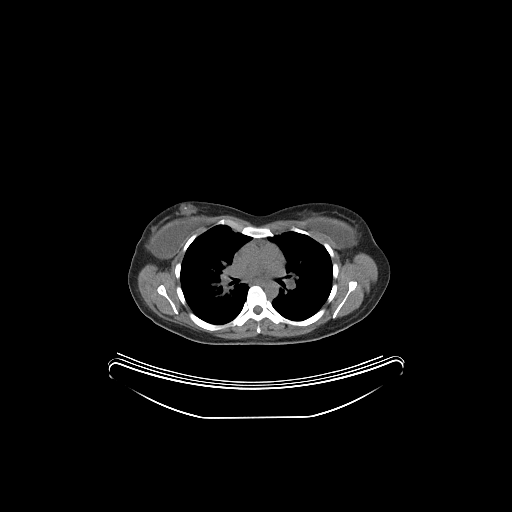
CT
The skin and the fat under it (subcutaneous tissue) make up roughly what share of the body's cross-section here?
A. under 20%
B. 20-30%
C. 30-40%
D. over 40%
Answer: B. 20-30%
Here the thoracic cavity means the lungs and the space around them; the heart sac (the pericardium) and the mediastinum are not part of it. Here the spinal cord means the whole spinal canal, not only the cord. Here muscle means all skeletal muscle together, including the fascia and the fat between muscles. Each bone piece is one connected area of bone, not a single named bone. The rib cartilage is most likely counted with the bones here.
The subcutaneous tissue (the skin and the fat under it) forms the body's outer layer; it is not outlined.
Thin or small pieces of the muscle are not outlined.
The torso is outlined by [[184,200],[224,204],[255,215],[265,215],[308,202],[328,202],[345,206],[365,220],[376,243],[387,256],[390,265],[387,287],[365,318],[338,333],[318,340],[279,345],[213,345],[186,339],[146,317],[137,307],[127,281],[134,249],[145,226],[162,210]]. The mediastinum appears in 2 outlined pieces: piece 1: [[273,243],[282,252],[285,265],[279,276],[275,279],[277,293],[269,299],[260,285],[253,284],[249,287],[245,282],[241,281],[240,270],[234,264],[233,259],[235,253],[243,246],[241,251],[244,253],[251,267],[259,271],[267,271],[282,260],[282,253]]; piece 2: [[252,238],[253,238],[254,239],[262,239],[263,238],[267,238],[268,239],[268,240],[270,242],[272,242],[269,242],[268,241],[267,241],[264,239],[253,239],[250,242],[249,242],[248,243],[247,243],[245,245],[244,245],[247,242],[249,242],[252,239]]. The bones appear in 11 outlined pieces: piece 1: [[253,285],[260,286],[272,306],[290,320],[304,320],[323,307],[325,311],[320,318],[305,326],[274,323],[264,317],[259,322],[259,333],[257,322],[252,318],[242,325],[218,330],[204,329],[192,321],[189,312],[212,324],[227,323],[240,312],[248,289]] with a hole at [[255,306],[256,306],[257,306],[258,306],[259,306],[260,307],[261,307],[261,308],[261,309],[261,310],[261,311],[260,312],[259,313],[258,313],[257,313],[256,313],[255,312],[254,311],[254,310],[254,309],[254,308],[254,307]]; piece 2: [[221,219],[229,219],[235,221],[239,223],[242,227],[245,226],[266,227],[274,233],[274,235],[273,236],[263,237],[262,238],[254,238],[248,235],[243,234],[238,231],[235,231],[228,225],[225,224],[216,224],[215,225],[216,222]]; piece 3: [[352,280],[356,281],[357,282],[357,285],[356,287],[349,293],[346,300],[338,311],[336,315],[336,317],[335,318],[333,318],[332,317],[333,312],[335,310],[337,306],[341,302],[344,296],[346,294],[348,290],[348,286],[349,285],[348,284],[349,282]]; piece 4: [[161,284],[162,284],[164,286],[166,290],[166,293],[171,299],[171,300],[174,303],[175,305],[175,307],[178,311],[177,313],[175,313],[174,312],[170,303],[167,300],[167,299],[164,296],[158,293],[157,291],[157,288],[158,286]]; piece 5: [[333,283],[335,283],[337,285],[337,289],[336,290],[336,293],[335,294],[334,297],[332,299],[332,300],[330,302],[327,303],[327,302],[326,301],[327,300],[327,299],[328,298],[328,296],[331,291],[331,288],[332,287],[332,285],[333,284]]; piece 6: [[179,285],[180,285],[181,287],[181,289],[182,290],[182,292],[183,293],[183,295],[184,296],[184,298],[186,302],[186,304],[185,305],[184,305],[179,299],[178,297],[178,295],[177,294],[177,292],[176,291],[176,288],[177,286]]; piece 7: [[291,226],[295,226],[300,229],[302,229],[303,230],[305,230],[306,231],[309,232],[310,233],[311,236],[310,236],[309,235],[307,235],[306,234],[304,234],[303,233],[300,233],[299,232],[295,232],[294,231],[291,231],[290,230],[289,230],[289,228]]; piece 8: [[195,233],[196,233],[198,235],[191,242],[191,243],[188,246],[188,247],[186,249],[186,250],[184,252],[183,252],[183,251],[182,250],[182,249],[183,248],[183,247],[184,246],[184,245],[185,244],[185,243],[187,241],[187,240],[193,234],[194,234]]; piece 9: [[178,262],[181,262],[181,267],[180,268],[180,274],[179,275],[179,279],[177,279],[177,278],[176,277],[176,276],[175,275],[175,266],[176,265],[176,264]]; piece 10: [[333,262],[334,262],[335,263],[336,263],[337,264],[337,265],[338,266],[338,273],[337,274],[337,277],[335,279],[333,279],[333,266],[332,265],[333,264]]; piece 11: [[325,242],[326,242],[331,247],[331,248],[333,250],[333,257],[332,258],[331,258],[331,257],[330,256],[330,255],[329,254],[329,253],[328,252],[328,251],[325,248],[325,247],[322,244],[323,243],[324,243]]. The spinal cord is outlined by [[255,306],[256,306],[257,306],[258,306],[259,306],[260,307],[261,307],[261,308],[261,309],[261,310],[261,311],[260,312],[259,313],[258,313],[257,313],[256,313],[255,312],[254,311],[254,310],[254,309],[254,308],[254,307]]. The pericardium is outlined by [[253,240],[264,240],[269,243],[272,243],[281,253],[281,260],[272,265],[271,267],[270,267],[267,270],[259,270],[258,269],[256,269],[252,267],[252,266],[249,263],[245,255],[245,253],[243,251],[242,251],[242,250],[244,246],[250,243]]. The muscle appears in 3 outlined pieces: piece 1: [[276,220],[304,220],[307,229],[325,236],[332,242],[342,262],[355,252],[365,253],[375,261],[378,269],[377,280],[357,309],[304,334],[281,338],[260,334],[260,322],[264,318],[274,324],[283,323],[300,327],[316,322],[326,311],[324,304],[333,300],[338,289],[338,285],[333,280],[338,277],[339,266],[336,262],[332,262],[334,257],[332,247],[326,241],[320,243],[309,231],[295,225],[275,234],[268,227],[259,226]] with a hole at [[352,280],[356,281],[357,282],[357,285],[356,287],[349,293],[346,300],[338,311],[336,315],[336,317],[335,318],[333,318],[332,317],[333,312],[335,310],[337,306],[341,302],[344,296],[346,294],[348,290],[348,286],[349,285],[348,284],[349,282]]; piece 2: [[180,249],[184,253],[174,266],[174,275],[180,283],[175,291],[180,302],[190,308],[187,314],[191,321],[204,330],[218,331],[242,326],[252,319],[256,322],[256,336],[228,339],[197,331],[160,317],[145,303],[137,283],[140,270],[147,263],[168,268]] with a hole at [[161,284],[162,284],[164,286],[166,290],[166,293],[171,299],[171,300],[174,303],[175,305],[175,307],[178,311],[177,313],[175,313],[174,312],[170,303],[167,300],[167,299],[164,296],[158,293],[157,291],[157,288],[158,286]]; piece 3: [[219,215],[230,215],[234,216],[248,221],[253,225],[242,226],[239,222],[235,220],[229,218],[221,218],[217,220],[214,225],[203,232],[199,234],[195,232],[191,235],[194,230],[198,229],[200,226],[204,226],[209,223],[212,218],[212,216],[218,216]]. The breast implant appears in 2 outlined pieces: piece 1: [[197,215],[211,216],[209,222],[204,225],[200,225],[198,228],[194,229],[191,232],[183,246],[172,257],[169,257],[165,259],[158,259],[154,255],[152,251],[147,247],[147,245],[149,243],[154,233],[162,225],[175,219],[178,219],[182,217],[196,216]]; piece 2: [[317,216],[327,216],[328,217],[343,220],[351,225],[354,229],[354,232],[356,236],[356,241],[355,243],[353,245],[344,249],[336,249],[335,248],[335,245],[333,242],[325,235],[312,231],[310,229],[307,228],[306,221],[304,219],[309,217],[316,217]]. The thoracic cavity appears in 2 outlined pieces: piece 1: [[216,225],[228,226],[233,231],[251,238],[234,253],[232,259],[233,264],[239,270],[240,281],[245,283],[248,286],[245,300],[239,312],[232,319],[227,322],[219,324],[206,321],[192,311],[186,301],[180,282],[182,261],[185,252],[192,242],[200,234]]; piece 2: [[287,231],[303,234],[313,238],[324,247],[332,263],[332,284],[325,302],[316,312],[300,320],[294,320],[285,317],[273,306],[271,301],[278,293],[278,285],[276,279],[280,276],[284,269],[286,265],[286,259],[279,246],[276,243],[270,241],[268,238]].